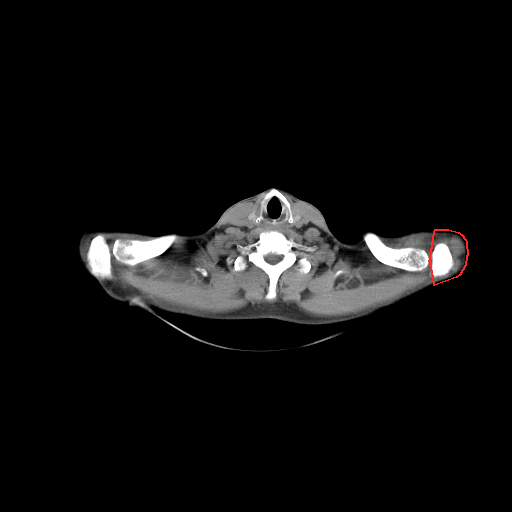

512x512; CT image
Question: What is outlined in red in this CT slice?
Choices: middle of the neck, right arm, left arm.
Answer: red: left arm.
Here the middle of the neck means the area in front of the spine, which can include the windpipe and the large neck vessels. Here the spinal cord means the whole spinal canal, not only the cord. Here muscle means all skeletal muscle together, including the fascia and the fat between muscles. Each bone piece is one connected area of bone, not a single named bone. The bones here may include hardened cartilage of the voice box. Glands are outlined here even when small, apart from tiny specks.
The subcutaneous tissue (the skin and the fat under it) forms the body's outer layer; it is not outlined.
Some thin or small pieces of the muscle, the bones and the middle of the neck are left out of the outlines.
The left arm is outlined by 435,229 448,229 458,232 461,234 465,239 466,242 467,255 466,256 465,265 459,275 456,277 434,285 433,276 432,275 432,271 429,260 430,259 430,254 431,253 431,248 432,247 432,242 433,241 433,236. The spinal cord is outlined by 269,253 272,253 273,254 276,254 277,255 281,255 281,258 280,259 280,260 279,260 276,263 275,263 274,264 272,264 271,263 269,263 267,261 266,261 266,260 264,258 264,257 265,256 265,255 266,255. The thyroid glands appear in 2 outlined pieces: piece 1: 253,208 255,208 255,219 254,220 254,221 253,221 252,220 251,220 248,217 248,214 249,213 249,212; piece 2: 293,210 296,210 297,211 298,211 299,212 299,213 300,214 300,217 299,218 299,219 298,219 296,221 295,221 294,222 294,212 293,211. The muscle appears in 4 outlined pieces: piece 1: 263,193 236,223 265,229 255,241 238,243 238,254 225,261 235,272 248,263 261,269 267,301 277,297 284,271 295,264 301,274 310,271 308,254 316,248 279,230 308,224 283,193 313,208 342,251 364,242 382,264 429,268 433,280 372,308 325,318 283,301 226,312 176,308 107,280 114,278 112,256 133,267 163,254 178,236 207,240 231,208 with holes at 196,267 200,267 201,268 203,268 207,272 207,275 206,276 203,276 201,274 201,273 199,271 198,271 197,270 196,270 and at 340,269 343,269 344,270 345,270 345,272 344,272 343,273 342,273 341,274 340,274 339,275 338,275 336,277 335,277 334,276 334,275 335,274 335,273 336,272 336,271 337,271 338,270 339,270; piece 2: 416,233 429,234 433,238 439,236 457,237 462,245 462,250 459,255 460,263 457,268 451,273 455,267 455,261 449,245 444,241 437,242 433,246 430,253 421,247 393,247 386,244 383,240 395,241 405,236; piece 3: 102,233 125,233 126,234 135,234 136,235 142,235 143,236 151,236 151,237 147,239 141,239 140,238 128,238 127,239 121,239 118,237 116,238 113,241 112,243 112,245 110,246 105,236; piece 4: 93,234 95,234 90,239 90,240 89,241 89,243 88,244 88,246 87,247 87,250 86,251 86,253 85,254 85,259 82,255 82,250 81,249 82,248 82,245 83,244 84,241 88,237 91,236. The torso appears in 2 outlined pieces: piece 1: 420,227 434,229 428,260 433,286 389,308 382,309 371,315 350,321 327,325 301,325 286,322 300,295 325,269 340,245 341,241 345,243 352,243 357,240 366,230 371,230 378,234 383,235 397,235 410,229; piece 2: 115,228 126,228 160,234 170,231 188,234 199,233 203,231 205,255 234,290 248,320 220,321 200,319 184,315 177,315 163,308 151,308 143,303 130,299 120,302 111,298 108,295 108,289 113,264. The middle of the neck is outlined by 272,196 276,196 285,206 287,210 286,219 289,223 296,222 301,216 307,224 299,228 286,227 278,230 242,226 237,223 239,218 246,216 251,221 258,223 263,217 260,211 256,216 256,209 260,203 261,211. The head and neck is outlined by 269,187 279,187 282,188 293,194 296,197 313,204 322,213 330,231 340,240 339,245 324,269 299,295 285,322 275,319 249,320 235,290 208,258 205,252 204,231 216,222 222,212 228,206 238,200 251,196. The bones appear in 4 outlined pieces: piece 1: 265,230 277,230 288,239 315,248 307,254 311,262 307,273 299,272 295,263 280,274 273,300 265,298 269,277 261,268 248,262 245,269 235,271 233,262 226,261 227,257 232,260 239,254 238,244 255,242; inner edge: 269,253 272,253 273,254 276,254 277,255 281,255 281,258 280,259 280,260 279,260 276,263 275,263 274,264 272,264 271,263 269,263 267,261 266,261 266,260 264,258 264,257 265,256 265,255 266,255; piece 2: 98,233 101,233 104,236 110,247 118,238 121,240 147,240 152,237 170,233 174,233 177,236 171,245 163,253 133,266 119,262 112,255 110,260 112,265 113,278 100,279 90,273 86,263 86,254 90,241; piece 3: 366,232 375,233 386,245 390,247 421,248 429,254 431,253 434,246 437,243 444,242 449,247 454,261 454,267 447,276 434,279 429,275 429,267 421,271 408,271 384,264 373,255 365,243 363,235; piece 4: 272,188 275,188 281,192 290,204 291,210 292,211 292,215 293,216 293,222 292,223 289,222 287,219 288,217 288,210 286,206 276,195 272,195 265,202 263,206 263,208 261,210 261,201 263,199 265,194. The right arm is outlined by 92,227 114,228 114,231 113,232 112,264 111,265 111,270 110,271 110,276 109,277 107,294 100,287 96,280 94,279 94,278 82,267 77,255 76,246 77,245 77,241 79,236 82,232 86,229 91,228.